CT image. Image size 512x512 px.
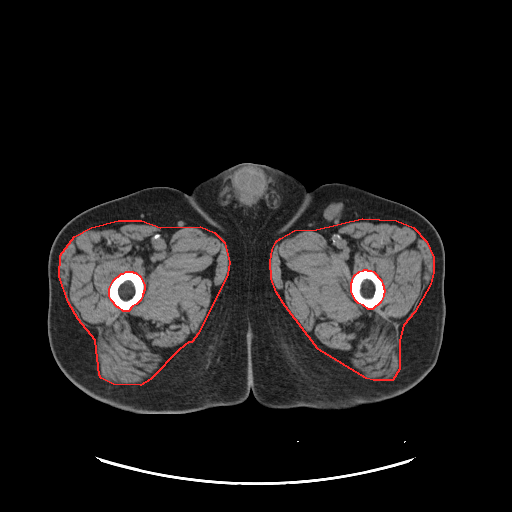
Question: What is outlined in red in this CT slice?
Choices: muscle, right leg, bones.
Answer: red: muscle.
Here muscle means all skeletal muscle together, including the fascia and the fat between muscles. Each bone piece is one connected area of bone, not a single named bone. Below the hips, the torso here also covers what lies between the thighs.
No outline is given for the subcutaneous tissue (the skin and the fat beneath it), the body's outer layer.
The muscle appears in 2 outlined pieces: piece 1: 118,220 141,220 160,227 200,226 214,232 224,242 229,262 227,274 198,333 191,342 188,342 179,349 150,379 140,385 113,384 101,378 99,375 95,340 78,319 68,302 59,276 60,255 74,236 91,227; inner edge: 126,271 132,271 133,272 135,272 140,276 144,285 144,290 143,291 143,293 142,294 142,296 140,300 136,304 132,306 128,311 123,311 118,307 117,307 111,300 109,296 109,288 113,280 121,273 123,273; piece 2: 362,218 396,220 413,227 426,241 433,257 433,272 430,284 414,312 403,325 399,340 399,369 392,380 373,380 366,378 318,349 285,306 276,292 271,278 270,261 272,249 276,241 280,238 294,230 316,229, around a hole outlined by 364,269 366,269 367,270 371,270 373,271 381,280 382,284 383,285 383,288 384,289 383,296 380,302 372,309 368,309 363,305 358,303 355,300 351,291 351,282 352,281 352,279 354,275 359,271 363,270. The left leg is outlined by 326,183 352,185 405,204 426,217 435,227 440,235 445,251 444,297 446,312 442,343 433,368 415,386 397,397 355,409 340,411 307,407 272,409 260,404 254,395 250,393 248,254 292,219 305,202 309,191. The torso is outlined by 244,162 264,164 283,171 299,180 305,186 306,189 308,190 308,193 304,202 291,219 284,226 275,232 265,241 252,249 248,253 243,249 229,232 207,216 190,194 193,187 200,181 211,175 216,174 224,169. The right leg is outlined by 154,186 168,186 189,193 206,216 229,233 248,255 250,384 249,395 240,404 212,407 187,413 158,414 126,411 98,401 84,393 64,375 52,355 47,334 49,299 47,263 50,247 55,236 78,213 105,201. The bones appear in 2 outlined pieces: piece 1: 126,271 132,271 133,272 135,272 140,276 144,285 144,290 143,291 143,293 142,294 142,296 140,300 136,304 132,306 128,311 123,311 118,307 117,307 111,300 109,296 109,288 113,280 121,273 123,273; piece 2: 364,269 366,269 367,270 371,270 373,271 381,280 382,284 383,285 383,288 384,289 383,296 380,302 372,309 368,309 363,305 358,303 355,300 351,291 351,282 352,281 352,279 354,275 359,271 363,270.